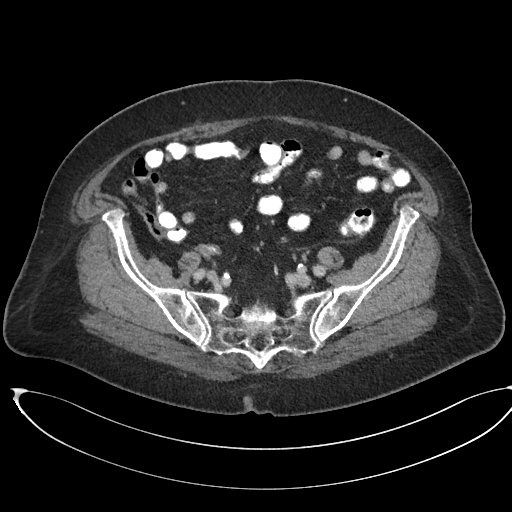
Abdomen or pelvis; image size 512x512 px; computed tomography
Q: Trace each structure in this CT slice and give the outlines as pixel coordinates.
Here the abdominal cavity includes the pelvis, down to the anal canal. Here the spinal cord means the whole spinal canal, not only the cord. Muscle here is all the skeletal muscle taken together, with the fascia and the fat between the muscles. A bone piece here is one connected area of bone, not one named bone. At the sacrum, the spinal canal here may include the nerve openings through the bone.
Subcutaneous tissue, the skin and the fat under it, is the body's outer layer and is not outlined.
A: The muscle is outlined by 262 114; 291 115; 300 118; 306 118; 316 121; 321 121; 367 137; 376 139; 402 151; 415 162; 433 182; 440 201; 440 213; 436 219; 435 226; 436 227; 437 240; 439 244; 439 248; 441 254; 437 279; 435 283; 435 292; 429 301; 430 306; 435 311; 437 315; 436 316; 436 322; 433 327; 425 333; 423 333; 418 336; 411 338; 372 355; 362 357; 358 360; 353 361; 348 364; 345 364; 341 367; 334 369; 332 371; 322 373; 314 377; 287 378; 283 376; 280 376; 275 373; 259 373; 258 374; 243 374; 236 379; 227 381; 208 379; 198 376; 193 373; 178 369; 169 364; 149 359; 144 356; 127 351; 121 347; 118 347; 98 337; 96 335; 88 332; 79 321; 80 316; 88 308; 88 305; 84 302; 79 289; 78 273; 76 268; 77 247; 84 233; 84 230; 82 227; 76 225; 70 221; 68 213; 68 209; 72 194; 77 187; 88 175; 109 158; 112 157; 123 149; 144 139; 216 121; 220 121; 226 119; 233 119; 234 118; 243 118; inner edge: 261 120; 386 151; 420 187; 395 198; 378 247; 350 267; 317 251; 326 289; 376 270; 403 204; 420 216; 343 327; 258 369; 202 351; 131 279; 100 219; 116 207; 153 284; 189 290; 201 258; 183 251; 174 276; 100 185; 140 147. The abdominal cavity is outlined by 261 120; 386 151; 420 187; 395 198; 374 251; 344 268; 337 248; 321 247; 316 257; 327 270; 325 289; 276 307; 190 289; 198 252; 183 251; 174 276; 165 261; 138 246; 124 201; 100 191; 112 168; 140 147; 215 137. The bones are outlined by 405 203; 420 216; 401 257; 343 327; 315 353; 298 356; 281 350; 261 369; 242 353; 204 352; 179 332; 124 270; 113 236; 100 219; 110 209; 124 211; 131 255; 153 284; 225 294; 240 306; 276 308; 305 293; 367 279; 384 259, around holes outlined by 259 340; 261 340; 263 342; 263 343; 264 344; 263 345; 263 346; 262 347; 262 348; 261 348; 260 349; 258 349; 256 347; 255 347; 255 342; 256 342; 257 341; 258 341 and by 288 309; 289 309; 290 309; 291 310; 291 311; 292 312; 292 313; 293 314; 292 314; 291 315; 290 316; 289 317; 288 317; 287 317; 286 317; 285 316; 284 315; 284 314; 284 313; 284 312; 284 311; 285 310; 286 310; 287 310 and by 228 309; 229 309; 230 309; 231 309; 232 309; 233 310; 234 311; 234 312; 234 313; 234 314; 233 315; 232 316; 231 316; 230 316; 229 316; 228 316; 227 315; 226 314; 226 313; 226 312; 226 311; 227 310. The spinal cord appears in 5 outlined pieces: piece 1: 259 340; 261 340; 263 342; 263 343; 264 344; 263 345; 263 346; 262 347; 262 348; 261 348; 260 349; 258 349; 256 347; 255 347; 255 342; 256 342; 257 341; 258 341; piece 2: 288 309; 289 309; 290 309; 291 310; 291 311; 292 312; 292 313; 293 314; 292 314; 291 315; 290 316; 289 317; 288 317; 287 317; 286 317; 285 316; 284 315; 284 314; 284 313; 284 312; 284 311; 285 310; 286 310; 287 310; piece 3: 228 309; 229 309; 230 309; 231 309; 232 309; 233 310; 234 311; 234 312; 234 313; 234 314; 233 315; 232 316; 231 316; 230 316; 229 316; 228 316; 227 315; 226 314; 226 313; 226 312; 226 311; 227 310; piece 4: 278 330; 279 330; 280 330; 281 330; 282 330; 283 331; 283 332; 283 333; 282 334; 281 334; 280 334; 279 335; 278 335; 277 335; 276 334; 276 333; 276 332; 277 331; piece 5: 239 332; 240 332; 241 332; 242 332; 243 333; 243 334; 243 335; 243 336; 242 337; 241 337; 240 337; 239 337; 238 337; 237 336; 237 335; 237 334; 238 333. The torso is outlined by 291 78; 371 96; 417 124; 449 155; 469 191; 473 235; 505 309; 505 329; 496 346; 383 397; 329 411; 274 416; 253 411; 210 413; 167 404; 65 363; 20 355; 6 345; 5 305; 47 187; 86 133; 128 105; 165 90; 213 80.